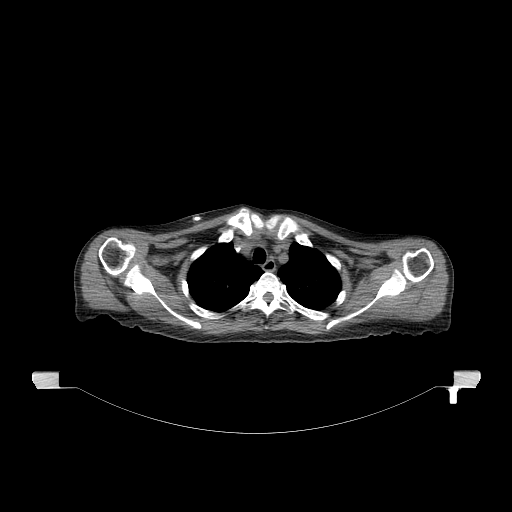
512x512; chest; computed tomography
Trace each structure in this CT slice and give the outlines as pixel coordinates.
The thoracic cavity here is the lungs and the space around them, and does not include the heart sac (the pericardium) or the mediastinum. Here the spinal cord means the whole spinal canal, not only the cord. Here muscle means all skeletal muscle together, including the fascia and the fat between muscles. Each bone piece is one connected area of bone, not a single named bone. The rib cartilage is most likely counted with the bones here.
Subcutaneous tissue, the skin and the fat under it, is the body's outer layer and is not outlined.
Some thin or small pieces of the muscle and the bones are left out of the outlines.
Outlines (x, y in pixels):
torso: 238,203 261,208 293,209 360,232 394,233 389,245 390,259 413,294 413,317 423,333 412,336 393,332 360,339 312,343 194,343 145,332 136,326 129,328 120,325 109,315 150,254 151,236 145,224 164,223
bones 1: 266,271 278,277 294,300 310,309 328,312 328,318 314,320 297,311 290,314 282,309 276,309 266,317 261,310 251,309 230,312 218,319 208,319 197,315 189,307 192,300 205,309 224,312 242,300 250,286; inner edge: 268,292 269,293 270,293 271,294 272,295 272,296 272,297 272,298 272,299 271,300 270,301 269,302 268,302 267,302 266,301 265,300 264,299 263,298 263,297 263,296 264,295 265,294 266,293 267,293
bones 2: 110,236 134,245 135,252 129,266 138,264 140,271 150,280 160,298 174,311 198,321 201,328 193,328 171,314 152,294 147,292 137,294 130,287 125,286 123,284 124,272 113,276 104,269 98,256 98,250
bones 3: 421,247 429,250 434,261 434,266 428,275 417,282 408,280 405,289 398,294 382,296 360,314 341,321 328,330 326,328 326,324 331,318 356,311 371,301 393,270 402,268 402,255 408,250 413,251
bones 4: 242,207 263,219 273,214 292,218 307,234 313,246 300,244 292,233 283,239 278,239 275,228 269,230 264,227 255,228 249,236 236,228 230,241 218,242 218,237 228,227 226,218 237,213
bones 5: 325,252 327,252 328,253 330,253 332,255 333,255 334,256 335,256 339,260 339,261 341,264 341,268 339,271 338,271 329,262 329,261 327,259 327,258 325,256 325,255 324,254 324,253
bones 6: 204,244 206,244 208,246 208,247 205,250 205,251 200,256 199,256 196,259 195,259 192,262 191,262 190,261 190,256 191,255 191,254 192,253 192,252 195,249 196,249 198,247 199,247 200,246 201,246
bones 7: 182,278 185,278 186,279 186,281 187,282 187,285 188,286 188,289 189,290 189,294 190,295 190,297 189,298 188,298 187,297 186,297 185,296 185,295 183,293 183,292 182,291 182,290 181,289 181,279
bones 8: 342,289 344,289 346,291 346,296 345,297 345,298 344,299 344,300 339,305 336,305 334,303 334,302 335,301 335,300 336,299 336,298 337,297 337,296 338,295 338,294 339,293 339,292
muscle 1: 239,208 225,218 227,227 215,243 210,246 204,243 191,252 186,278 180,279 182,293 193,299 188,307 197,316 218,320 237,311 259,310 268,318 274,311 282,310 290,315 297,312 311,320 323,321 331,316 324,310 326,307 332,303 339,306 345,300 347,291 342,288 340,260 330,252 322,252 315,247 300,224 282,214 295,215 360,242 376,243 409,237 433,242 444,256 448,274 443,310 424,321 386,318 346,325 322,334 272,329 266,324 259,329 215,335 148,319 133,310 90,308 82,297 80,269 86,251 98,235 107,230 124,228 152,234 166,233; inner edges: 110,236 134,245 135,252 129,266 138,264 140,271 150,280 160,298 174,311 198,321 201,328 193,328 171,314 152,294 147,292 137,294 130,287 125,286 123,284 124,272 113,276 104,269 98,256 98,250, then 421,247 429,250 434,261 434,266 428,275 417,282 408,280 405,289 398,294 382,296 360,314 341,321 328,330 326,328 326,324 331,318 356,311 371,301 393,270 402,268 402,255 408,250 413,251
muscle 2: 264,228 269,231 272,231 275,229 276,230 275,232 275,236 273,236 272,235 270,235 266,233 260,233 257,235 252,235 255,229 257,230 260,230
muscle 3: 248,208 249,209 250,209 251,210 252,210 255,212 257,212 258,213 260,213 263,215 269,215 270,214 272,214 271,215 270,215 269,216 268,216 265,218 263,218 262,217 261,217 256,212 251,212 248,209
spinal cord: 268,292 269,293 270,293 271,294 272,295 272,296 272,297 272,298 272,299 271,300 270,301 269,302 268,302 267,302 266,301 265,300 264,299 263,298 263,297 263,296 264,295 265,294 266,293 267,293
thoracic cavity 1: 217,242 218,243 231,242 233,248 237,253 251,262 255,266 259,267 262,270 262,273 258,278 249,286 247,294 238,302 224,311 211,310 196,303 190,294 190,290 187,281 187,274 191,263 200,257 209,247
thoracic cavity 2: 293,242 296,242 302,246 311,248 314,247 319,250 323,253 328,262 339,273 341,289 338,292 334,301 326,306 323,310 310,308 294,299 289,294 286,285 281,281 277,275 280,268 286,264 289,260 289,249
right arm: 114,224 144,224 147,228 150,236 149,254 139,271 118,297 108,315 99,315 93,319 90,319 83,322 79,321 76,318 74,313 74,303 75,301 73,291 73,268 76,258 82,246 96,231 106,226
left arm: 395,233 417,233 430,236 437,240 447,251 454,269 454,293 451,308 451,324 448,330 436,334 430,331 424,332 418,326 413,313 413,303 415,298 414,294 406,280 398,272 394,266 390,255 390,245 392,238
mediastinum: 260,234 266,234 275,237 278,240 293,237 295,241 293,241 289,246 288,260 279,268 276,274 269,270 263,272 263,270 259,266 255,265 237,252 231,241 234,237 238,235 244,235 249,237 257,236